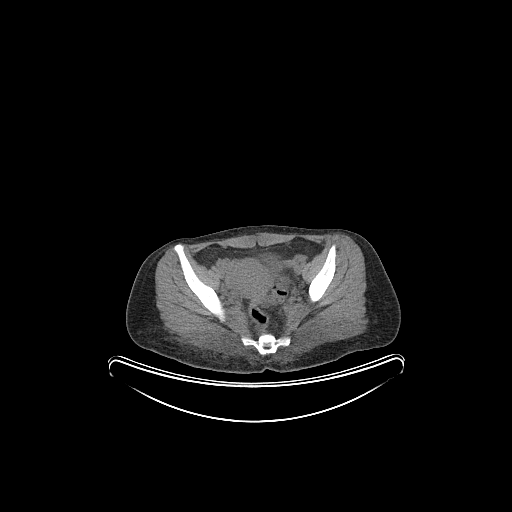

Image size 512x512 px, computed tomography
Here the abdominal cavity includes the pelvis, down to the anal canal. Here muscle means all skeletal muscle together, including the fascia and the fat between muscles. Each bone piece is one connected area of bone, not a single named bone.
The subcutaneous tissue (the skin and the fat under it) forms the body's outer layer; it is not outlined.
The muscle is outlined by 258 232; 342 233; 349 236; 364 256; 366 330; 346 339; 319 345; 284 364; 258 364; 214 355; 170 339; 155 303; 155 269; 165 251; 173 245; 186 284; 201 304; 224 323; 226 313; 219 295; 197 275; 182 243; 193 244, around a hole outlined by 298 238; 322 246; 309 261; 299 265; 298 271; 304 283; 308 285; 322 267; 333 244; 336 248; 334 275; 317 301; 312 302; 306 291; 303 299; 286 310; 279 332; 281 336; 289 336; 290 342; 287 346; 279 346; 274 353; 264 355; 253 345; 243 344; 241 336; 248 336; 254 340; 257 337; 245 313; 220 294; 222 272; 219 266; 214 264; 207 267; 194 256; 212 245; 249 249; 287 243. The torso is outlined by 262 224; 342 228; 363 236; 378 254; 400 304; 401 322; 394 340; 385 346; 356 351; 335 361; 311 368; 290 372; 266 369; 261 373; 249 374; 192 367; 136 345; 126 329; 125 310; 138 269; 151 252; 176 238; 200 236; 229 228. The abdominal cavity is outlined by 298 238; 322 246; 318 253; 309 261; 301 263; 298 268; 304 283; 308 285; 307 293; 284 313; 279 336; 262 332; 257 337; 245 313; 220 294; 222 272; 219 266; 214 264; 207 267; 194 256; 212 245; 249 249; 287 243. The bones appear in 3 outlined pieces: piece 1: 178 243; 181 243; 183 245; 184 253; 196 275; 205 284; 212 287; 218 295; 222 303; 225 313; 225 320; 224 322; 221 322; 214 314; 202 304; 201 301; 191 290; 187 284; 183 274; 183 271; 181 268; 178 255; 173 248; 174 245; piece 2: 333 244; 335 245; 335 247; 336 248; 336 256; 335 257; 335 271; 334 272; 334 275; 329 285; 325 290; 323 295; 317 301; 312 302; 309 299; 309 297; 308 296; 308 286; 314 276; 322 267; 326 259; 326 257; 329 251; 329 249; piece 3: 262 333; 271 333; 276 337; 279 337; 283 335; 287 335; 290 337; 290 342; 287 346; 279 346; 274 353; 268 353; 264 355; 259 353; 257 349; 253 345; 244 345; 241 340; 241 336; 248 336; 249 337; 251 337; 255 340; 258 336.